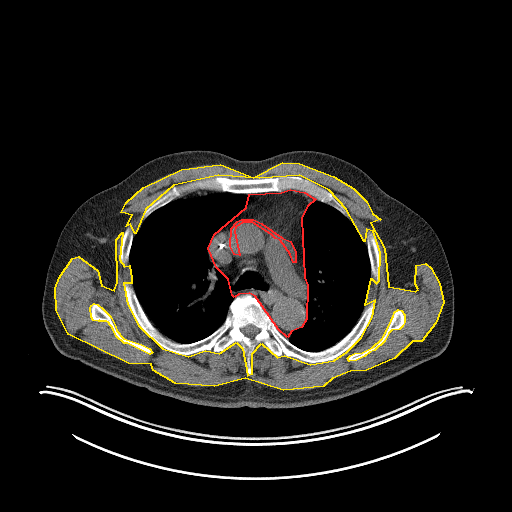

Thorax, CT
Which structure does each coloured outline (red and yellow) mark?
red: mediastinum; yellow: muscle.
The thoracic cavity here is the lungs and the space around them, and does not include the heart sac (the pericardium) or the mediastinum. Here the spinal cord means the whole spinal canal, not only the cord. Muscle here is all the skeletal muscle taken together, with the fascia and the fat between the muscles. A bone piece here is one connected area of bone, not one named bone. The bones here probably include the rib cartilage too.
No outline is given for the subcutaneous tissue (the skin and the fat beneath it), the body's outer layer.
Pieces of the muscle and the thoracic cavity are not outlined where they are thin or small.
mediastinum: 290,189 304,192 315,199 307,206 301,217 304,277 307,285 306,319 301,327 291,331 287,337 278,329 255,296 249,293 238,294 234,297 232,295 228,279 216,267 208,248 214,234 246,207 249,194 281,192 with a hole at 241,219 253,219 261,223 281,237 290,241 295,252 295,262 293,262 290,254 280,240 275,238 271,234 252,222 242,222 235,227 234,231 239,255 234,254 230,246 231,228 237,221
muscle: 282,162 299,163 333,176 353,188 366,201 372,213 380,219 370,223 384,248 388,286 415,291 418,289 415,284 416,265 425,263 430,267 439,283 443,302 435,323 421,341 412,341 394,358 366,370 350,371 332,378 323,386 283,390 245,378 214,386 175,383 153,370 151,364 128,363 68,334 56,310 55,288 59,277 72,258 78,256 97,270 101,285 114,290 117,282 116,239 122,232 119,259 124,266 129,265 131,278 131,283 123,283 127,304 138,325 162,348 188,356 205,350 219,353 236,342 242,348 247,375 252,373 252,353 261,343 277,357 284,355 310,364 334,360 347,351 361,337 372,317 375,300 365,305 371,278 376,283 379,280 380,252 373,231 366,229 364,241 346,209 329,190 299,175 259,178 218,175 173,185 145,209 135,233 130,224 126,226 132,215 121,212 126,202 143,187 181,169 220,164 253,177 with holes at 94,303 97,304 102,308 110,316 115,326 116,330 123,338 141,344 149,348 152,352 149,354 127,343 124,343 116,336 113,329 108,322 106,321 100,321 99,320 98,321 93,320 91,317 90,307 91,305 and at 398,309 401,310 404,314 404,322 402,326 399,329 391,330 388,333 384,341 374,350 369,352 364,356 356,360 349,361 347,358 350,355 354,353 362,352 372,347 382,338 391,321 391,319 393,316 394,312
spinal cord: 247,325 253,325 254,326 255,326 259,330 258,331 258,332 252,338 250,338 249,337 248,337 247,336 246,336 242,332 242,331 241,330 241,329 242,328 243,328 244,327 245,327
bones 1: 125,282 152,324 181,344 215,331 242,294 255,297 277,329 308,352 340,341 364,308 372,300 374,307 360,337 336,358 310,363 277,356 261,342 251,353 247,374 239,342 219,352 188,355 155,342 132,313, around a hole outlined by 247,325 253,325 254,326 255,326 259,330 258,331 258,332 252,338 250,338 249,337 248,337 247,336 246,336 242,332 242,331 241,330 241,329 242,328 243,328 244,327 245,327
bones 2: 218,176 231,179 259,179 276,176 299,176 329,191 345,209 348,217 331,205 317,200 304,191 290,188 281,191 266,191 248,194 220,190 189,191 154,210 143,220 142,215 146,209 173,186 205,178 214,178
bones 3: 94,303 97,304 102,308 110,316 115,326 116,330 123,338 141,344 149,348 152,352 149,354 127,343 124,343 116,336 113,329 108,322 106,321 100,321 99,320 98,321 93,320 91,317 90,307 91,305
bones 4: 398,309 401,310 404,314 404,322 402,326 399,329 391,330 388,333 384,341 374,350 369,352 364,356 356,360 349,361 347,358 350,355 354,353 362,352 372,347 382,338 391,321 391,319 393,316 394,312
bones 5: 367,229 369,229 372,231 376,238 377,244 378,245 378,251 379,252 379,276 378,277 378,280 376,282 375,280 371,277 371,265 370,264 370,260 369,259 368,250 367,249 367,246 366,245 366,231
bones 6: 128,225 130,225 134,235 132,239 132,242 131,243 131,246 129,251 129,258 128,259 128,263 124,265 121,262 121,260 120,259 120,249 121,248 121,240 122,239 122,235 124,230
thoracic cavity 1: 200,191 246,194 248,201 233,219 213,234 207,248 209,257 215,267 227,279 230,293 233,297 228,305 226,316 223,322 207,336 193,342 181,343 164,335 147,316 133,287 129,259 134,236 148,216 178,198
thoracic cavity 2: 315,200 331,206 348,218 355,226 359,235 365,242 370,265 370,282 363,310 349,332 331,346 318,351 308,351 293,344 288,337 291,332 301,328 307,319 306,302 308,298 308,285 305,277 302,217 308,206
pericardium: 241,219 253,219 261,223 281,237 290,241 295,252 295,262 293,262 290,254 280,240 275,238 271,234 252,222 242,222 235,227 234,231 239,255 234,254 230,246 231,228 237,221
torso: 196,149 240,160 261,160 293,150 328,153 363,170 385,192 419,214 437,234 453,279 453,330 445,350 360,392 295,408 192,404 151,392 59,352 44,326 41,306 48,266 71,215 88,198 115,185 142,164